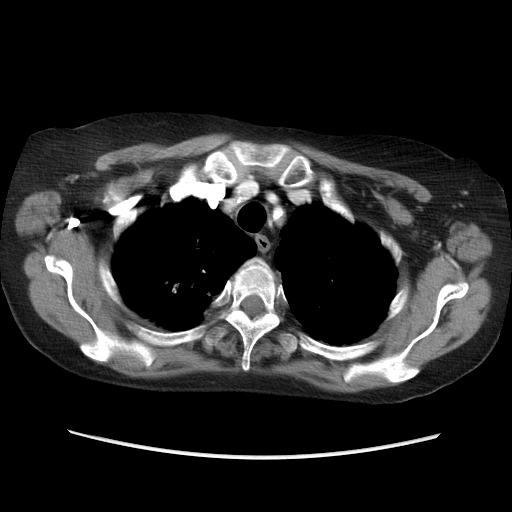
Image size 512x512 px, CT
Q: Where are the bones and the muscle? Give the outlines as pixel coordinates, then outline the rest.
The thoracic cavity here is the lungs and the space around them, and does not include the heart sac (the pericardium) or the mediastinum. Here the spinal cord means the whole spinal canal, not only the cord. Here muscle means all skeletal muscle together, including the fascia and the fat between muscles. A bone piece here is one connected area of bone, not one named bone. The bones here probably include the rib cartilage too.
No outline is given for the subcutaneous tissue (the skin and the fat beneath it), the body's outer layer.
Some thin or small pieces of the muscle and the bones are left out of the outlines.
A: {"bones":[[[234,140],[286,144],[292,154],[301,154],[309,160],[314,180],[304,186],[286,187],[277,182],[281,164],[271,168],[245,166],[234,182],[213,181],[199,193],[200,197],[189,195],[173,202],[168,189],[183,169],[190,164],[200,168],[211,152],[226,148]],{"outer":[[254,256],[257,256],[263,259],[280,280],[288,306],[283,312],[280,324],[261,336],[254,344],[250,353],[249,369],[245,371],[241,366],[244,347],[240,333],[228,322],[218,319],[217,317],[219,309],[211,308],[210,304],[222,291],[227,280],[246,260]],"hole":[[251,295],[256,295],[258,297],[259,297],[260,298],[260,299],[262,301],[262,302],[263,303],[263,306],[264,307],[264,311],[262,314],[261,314],[260,315],[258,315],[257,316],[255,316],[252,318],[251,318],[242,309],[242,302],[247,297],[248,297]]},[[46,255],[64,259],[71,265],[73,272],[71,290],[75,301],[100,329],[127,342],[142,340],[128,328],[128,322],[164,332],[181,331],[207,324],[205,333],[211,337],[215,336],[218,326],[224,327],[227,331],[213,345],[209,345],[204,336],[170,346],[146,342],[154,356],[148,367],[135,354],[118,349],[107,361],[94,360],[85,355],[79,345],[94,342],[95,331],[91,324],[70,304],[65,279],[47,269],[44,260]],[[460,281],[468,284],[465,295],[450,299],[441,308],[433,330],[419,339],[403,360],[406,364],[420,369],[416,375],[396,383],[375,373],[357,375],[349,382],[344,380],[343,375],[346,369],[354,363],[368,363],[400,353],[432,323],[440,289],[447,283]],[[288,331],[293,333],[300,331],[307,334],[315,340],[335,346],[348,346],[359,343],[364,343],[372,340],[378,340],[379,344],[372,351],[362,356],[346,360],[335,360],[306,350],[300,346],[298,346],[293,352],[288,353],[279,340],[279,334],[281,332]],[[322,178],[326,178],[332,181],[333,185],[334,186],[334,189],[335,190],[336,195],[348,207],[348,208],[353,214],[354,218],[355,219],[355,221],[353,223],[350,222],[340,214],[333,211],[323,203],[321,199],[320,193],[319,192],[319,181]],[[101,259],[102,259],[104,261],[106,265],[111,271],[111,273],[113,276],[113,278],[116,282],[119,293],[122,298],[122,303],[123,305],[120,305],[115,302],[109,296],[102,284],[102,282],[100,279],[99,273],[98,272],[98,264],[99,263],[99,261]],[[381,230],[383,230],[386,233],[388,234],[390,234],[398,242],[402,250],[401,259],[399,263],[396,266],[394,263],[394,260],[391,254],[389,252],[389,251],[387,249],[386,249],[381,244],[381,242],[380,241],[380,238],[379,237],[379,234]],[[133,209],[136,209],[139,212],[138,213],[138,215],[136,219],[132,224],[131,224],[120,234],[118,239],[116,240],[114,238],[114,235],[113,234],[113,227],[116,221],[116,219],[117,219],[123,214],[125,214],[127,212]],[[404,286],[407,286],[408,287],[408,297],[407,298],[407,300],[405,302],[401,310],[398,313],[397,313],[393,317],[389,319],[386,319],[386,316],[388,312],[388,308],[389,307],[390,302],[392,300],[392,299],[394,297],[396,293]]],"muscle":[[[216,132],[298,141],[425,186],[432,198],[401,230],[414,276],[455,221],[475,223],[493,248],[485,271],[492,299],[479,329],[421,369],[405,362],[442,308],[466,295],[465,280],[445,283],[431,323],[400,352],[354,362],[342,375],[346,383],[364,374],[398,383],[358,392],[251,372],[146,379],[96,362],[118,350],[148,368],[155,356],[146,343],[204,337],[213,346],[228,331],[218,325],[214,336],[206,333],[200,323],[209,308],[239,333],[245,372],[255,344],[286,309],[303,330],[278,334],[288,354],[300,347],[352,360],[380,344],[360,342],[408,300],[407,285],[396,291],[403,250],[390,233],[356,221],[331,179],[318,181],[320,198],[307,186],[315,180],[310,160],[288,144],[234,139],[200,167],[185,166],[167,189],[171,202],[116,218],[111,268],[98,261],[108,296],[167,331],[128,321],[141,340],[127,341],[100,328],[73,295],[72,265],[53,254],[43,257],[45,267],[64,279],[95,340],[78,346],[46,323],[28,296],[26,249],[14,225],[24,198],[56,190],[63,217],[97,223],[98,156]],[[279,165],[281,165],[281,171],[279,173],[276,180],[269,178],[266,176],[265,174],[263,174],[262,172],[257,169],[246,169],[243,171],[242,170],[243,170],[244,169],[243,168],[245,167],[252,167],[253,166],[271,169],[272,168],[275,168]]],"thoracic_cavity":[[[189,196],[197,197],[211,208],[219,209],[236,227],[252,239],[256,252],[226,280],[221,291],[203,312],[203,317],[198,324],[186,329],[169,330],[142,316],[125,303],[111,270],[112,258],[116,242],[138,216],[152,207],[172,202],[177,203]],[[319,200],[350,223],[361,222],[371,228],[377,234],[380,244],[390,254],[396,267],[396,292],[389,302],[385,318],[369,335],[358,343],[335,345],[315,339],[304,331],[287,309],[289,306],[288,300],[274,259],[275,252],[281,241],[280,232],[296,208]]],"torso":[[[150,110],[215,113],[325,133],[392,134],[477,161],[502,187],[511,238],[508,297],[491,352],[472,371],[428,395],[376,405],[253,393],[140,390],[88,380],[53,363],[22,335],[2,288],[0,239],[16,165],[29,136],[37,130],[75,127],[114,114]]],"mediastinum":[[[246,170],[257,170],[286,188],[306,186],[315,192],[320,199],[296,207],[281,228],[280,241],[273,255],[279,278],[270,265],[256,255],[257,247],[253,239],[236,226],[219,208],[211,207],[206,201],[199,198],[201,197],[200,193],[213,182],[234,183]]],"spinal_cord":[[[251,295],[256,295],[258,297],[259,297],[260,298],[260,299],[262,301],[262,302],[263,303],[263,306],[264,307],[264,311],[262,314],[261,314],[260,315],[258,315],[257,316],[255,316],[252,318],[251,318],[242,309],[242,302],[247,297],[248,297]]]}